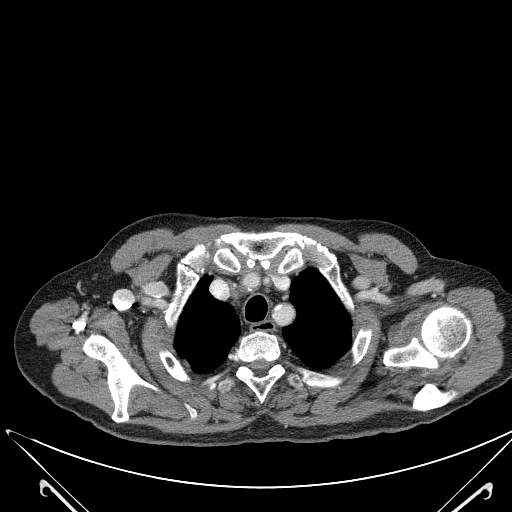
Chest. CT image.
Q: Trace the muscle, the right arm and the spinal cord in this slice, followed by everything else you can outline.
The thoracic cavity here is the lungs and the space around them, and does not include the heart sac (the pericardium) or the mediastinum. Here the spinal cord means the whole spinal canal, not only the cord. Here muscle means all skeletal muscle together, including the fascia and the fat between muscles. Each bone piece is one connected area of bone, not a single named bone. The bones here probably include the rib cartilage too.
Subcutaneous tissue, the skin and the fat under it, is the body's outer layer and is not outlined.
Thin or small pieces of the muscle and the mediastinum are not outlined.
A: The muscle is outlined by [[292,222],[353,240],[364,231],[390,234],[415,255],[416,282],[492,291],[506,322],[499,334],[504,361],[475,388],[459,397],[427,381],[412,397],[415,411],[333,425],[284,426],[264,416],[229,431],[164,432],[125,423],[135,386],[161,389],[97,332],[81,348],[106,367],[109,416],[51,383],[58,355],[36,343],[30,318],[45,302],[68,296],[108,306],[112,292],[131,283],[110,267],[130,236],[162,226],[178,232]]; inner edges: [[261,230],[297,232],[333,253],[352,338],[372,330],[358,363],[347,352],[322,372],[343,377],[337,387],[296,389],[283,375],[260,403],[236,378],[222,393],[201,384],[228,360],[190,381],[160,360],[160,349],[176,355],[164,317],[176,264],[198,243]], then [[443,305],[449,305],[459,308],[465,312],[471,322],[472,333],[468,343],[463,349],[453,357],[440,361],[439,366],[435,369],[424,367],[386,367],[382,361],[384,351],[390,347],[405,346],[413,336],[417,336],[419,334],[421,324],[425,317],[432,310]], then [[184,403],[187,403],[189,405],[190,405],[193,408],[194,408],[196,410],[196,411],[197,412],[197,416],[194,419],[192,419],[190,417],[190,415],[189,414],[189,412],[187,410],[187,409],[185,407],[185,406],[184,405]]. The right arm is outlined by [[58,273],[59,273],[59,280],[61,284],[61,306],[56,323],[53,328],[51,335],[39,358],[31,366],[20,372],[16,363],[16,359],[15,358],[14,349],[13,348],[13,337],[14,336],[16,324],[22,311],[33,294],[44,283],[54,275]]. The spinal cord is outlined by [[258,359],[263,359],[270,363],[270,366],[267,370],[266,373],[262,376],[259,376],[258,375],[256,375],[250,367],[250,363],[251,363],[253,361],[254,361],[255,360],[257,360]]. The torso is outlined by [[163,212],[217,217],[368,218],[405,228],[433,255],[424,279],[417,323],[420,342],[477,398],[437,421],[393,433],[315,443],[268,441],[206,447],[157,445],[121,439],[57,406],[21,373],[40,358],[57,323],[62,306],[60,272],[93,257],[124,226]]. The mediastinum is outlined by [[257,261],[266,271],[275,267],[278,273],[303,269],[291,279],[289,285],[289,300],[296,314],[294,320],[282,328],[282,338],[263,329],[241,335],[240,321],[234,308],[210,293],[212,277],[203,274],[212,265],[231,273],[238,273],[244,267],[254,267]]. The thoracic cavity appears in 2 outlined pieces: piece 1: [[309,266],[315,267],[326,280],[349,314],[352,323],[352,342],[349,351],[337,362],[324,371],[318,371],[300,364],[298,360],[290,353],[287,343],[284,340],[282,334],[283,328],[290,325],[295,320],[297,314],[296,308],[290,300],[290,285],[292,279]]; piece 2: [[205,274],[211,277],[211,281],[208,285],[209,293],[217,300],[225,302],[233,308],[239,321],[240,336],[237,343],[228,352],[227,360],[219,368],[209,373],[190,373],[184,367],[184,364],[176,356],[176,352],[174,349],[174,334],[184,306],[201,276]]. The left arm is outlined by [[434,256],[454,259],[461,262],[482,267],[490,271],[497,278],[499,283],[504,289],[509,292],[511,292],[511,378],[499,387],[479,397],[456,379],[421,342],[418,330],[418,323],[420,316],[420,310],[423,297],[425,279],[427,276],[430,265]]. The bones appear in 8 outlined pieces: piece 1: [[261,230],[297,232],[333,253],[353,302],[352,319],[315,266],[306,263],[278,272],[280,253],[270,260],[269,269],[257,260],[248,267],[247,257],[236,252],[242,266],[238,272],[206,266],[172,334],[164,316],[180,259],[196,244],[212,242],[223,233]]; piece 2: [[256,330],[282,339],[289,351],[287,355],[293,362],[318,372],[341,376],[343,381],[337,387],[304,384],[296,389],[283,375],[271,386],[263,403],[259,402],[248,385],[236,378],[235,384],[227,391],[210,390],[201,382],[228,364],[228,354],[241,336]] with a hole at [[258,359],[263,359],[270,363],[270,366],[267,370],[266,373],[262,376],[259,376],[258,375],[256,375],[250,367],[250,363],[251,363],[253,361],[254,361],[255,360],[257,360]]; piece 3: [[443,305],[449,305],[459,308],[465,312],[471,322],[472,333],[468,343],[463,349],[453,357],[440,361],[439,366],[435,369],[424,367],[386,367],[382,361],[384,351],[390,347],[405,346],[413,336],[417,336],[419,334],[421,324],[425,317],[432,310]]; piece 4: [[94,333],[101,334],[109,339],[141,378],[160,389],[160,391],[155,391],[142,385],[135,385],[129,394],[127,406],[129,420],[127,422],[118,423],[110,417],[114,404],[107,384],[108,371],[106,365],[100,360],[88,356],[83,351],[82,347],[86,338]]; piece 5: [[427,382],[428,383],[433,383],[438,388],[443,391],[447,391],[448,390],[453,389],[459,394],[459,396],[455,399],[439,407],[436,407],[433,409],[430,409],[426,411],[416,411],[415,410],[413,410],[412,409],[412,400],[413,399],[413,397],[415,393]]; piece 6: [[160,349],[166,349],[168,350],[170,352],[171,352],[183,364],[183,367],[188,372],[189,375],[191,377],[191,380],[190,381],[181,381],[178,379],[176,379],[174,378],[167,372],[167,371],[163,366],[160,360],[159,355],[158,354],[158,352]]; piece 7: [[362,327],[364,328],[368,328],[369,327],[371,328],[372,330],[371,339],[367,348],[367,350],[363,357],[358,363],[355,365],[352,365],[351,364],[352,358],[351,357],[351,354],[349,352],[350,351],[350,348],[352,345],[353,339],[355,337],[359,329]]; piece 8: [[184,403],[187,403],[189,405],[190,405],[193,408],[194,408],[196,410],[196,411],[197,412],[197,416],[194,419],[192,419],[190,417],[190,415],[189,414],[189,412],[187,410],[187,409],[185,407],[185,406],[184,405]].